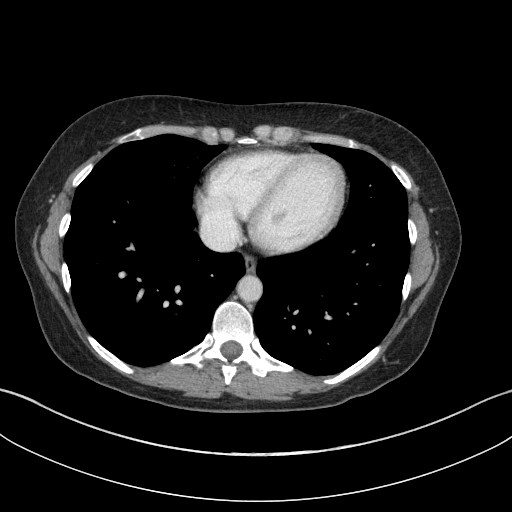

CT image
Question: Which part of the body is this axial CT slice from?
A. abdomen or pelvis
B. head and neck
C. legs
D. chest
Answer: D. chest
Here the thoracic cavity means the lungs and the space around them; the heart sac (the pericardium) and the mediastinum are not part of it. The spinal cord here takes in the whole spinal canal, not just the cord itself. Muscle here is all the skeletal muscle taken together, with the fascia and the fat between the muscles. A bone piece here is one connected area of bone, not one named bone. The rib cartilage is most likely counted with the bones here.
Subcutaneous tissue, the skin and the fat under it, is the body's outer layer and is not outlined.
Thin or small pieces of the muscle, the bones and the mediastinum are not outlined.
The bones appear in 12 outlined pieces: piece 1: 227 385; 236 372; 237 364; 242 361; 260 377; 272 370; 291 372; 295 369; 272 357; 261 346; 254 332; 252 316; 240 303; 232 300; 218 306; 211 330; 200 343; 166 363; 190 363; 201 368; 204 360; 217 358; 222 362; 221 368; inner edge: 230 360; 236 357; 238 355; 239 355; 242 350; 242 348; 241 346; 237 342; 235 341; 233 341; 232 340; 230 340; 229 341; 227 341; 225 342; 221 346; 221 348; 220 349; 223 355; 224 355; piece 2: 208 144; 215 144; 219 139; 243 144; 254 144; 259 140; 287 144; 293 139; 294 132; 284 126; 274 129; 269 126; 258 126; 254 130; 255 137; 245 135; 235 138; 233 132; 227 129; 219 132; 204 128; 201 131; 201 137; piece 3: 326 384; 335 384; 338 382; 343 381; 348 377; 353 375; 359 371; 377 355; 381 349; 381 344; 380 343; 378 344; 370 351; 369 351; 363 357; 341 372; 337 374; 329 376; 327 378; 324 379; 323 381; 324 383; piece 4: 125 373; 132 373; 133 372; 133 369; 128 364; 122 361; 119 358; 118 358; 115 355; 106 349; 90 334; 87 334; 86 335; 86 337; 88 341; 92 347; 99 354; 99 355; 105 359; 109 363; 110 363; 116 369; 121 372; 124 372; piece 5: 120 144; 121 143; 127 142; 128 141; 131 141; 132 140; 143 139; 144 138; 146 138; 150 136; 153 136; 157 134; 161 134; 162 133; 168 133; 170 132; 170 130; 164 127; 140 127; 127 133; 125 135; 119 138; 118 139; 118 142; piece 6: 350 148; 358 148; 357 143; 351 138; 344 139; 343 138; 331 137; 330 136; 325 136; 324 135; 307 135; 305 136; 305 140; 306 141; 319 142; 320 143; 327 143; 328 144; 334 144; 335 145; 339 145; 340 146; 344 146; piece 7: 407 190; 411 189; 411 186; 412 185; 411 181; 408 175; 406 173; 406 172; 400 166; 399 166; 397 164; 393 162; 391 163; 389 165; 389 167; 392 170; 394 174; 397 177; 397 178; 400 181; 400 182; 403 185; 403 186; piece 8: 74 187; 76 187; 86 177; 86 176; 91 171; 91 170; 92 169; 92 168; 94 166; 94 164; 93 163; 92 163; 91 162; 90 162; 89 163; 88 163; 85 166; 84 166; 74 176; 74 177; 73 178; 73 179; 72 180; 72 185; piece 9: 67 293; 70 293; 70 285; 71 284; 71 280; 70 279; 70 276; 69 275; 69 271; 68 270; 68 268; 67 267; 67 264; 65 261; 63 261; 61 264; 61 277; 62 278; 62 282; 63 283; 63 287; 64 288; 65 291; piece 10: 60 237; 64 237; 68 229; 68 227; 69 226; 69 223; 71 219; 71 214; 70 212; 66 212; 62 216; 60 220; 60 223; 59 224; 59 228; 58 229; 58 231; 59 232; 59 235; piece 11: 402 301; 404 301; 407 298; 407 297; 408 296; 408 294; 410 291; 410 288; 411 287; 411 282; 412 281; 412 277; 411 276; 411 274; 409 271; 407 271; 407 272; 405 275; 405 277; 404 278; 404 281; 403 282; 403 287; 402 288; piece 12: 411 245; 413 245; 414 244; 414 243; 416 240; 416 238; 417 237; 417 230; 416 229; 416 225; 415 224; 414 221; 410 217; 408 217; 408 218; 407 219; 407 227; 408 228; 408 232; 409 233; 409 240; 410 241; 410 243; 411 244. The thoracic cavity appears in 2 outlined pieces: piece 1: 138 366; 166 362; 200 342; 210 330; 215 309; 244 273; 241 254; 210 250; 194 230; 198 224; 192 207; 195 185; 202 168; 226 148; 223 143; 208 145; 175 134; 124 143; 96 164; 76 189; 64 238; 74 305; 95 338; 125 362; piece 2: 324 375; 355 362; 379 343; 393 324; 401 305; 410 244; 405 189; 391 170; 365 151; 313 143; 315 149; 342 164; 350 183; 349 199; 337 225; 323 240; 299 253; 259 261; 256 270; 264 291; 253 321; 262 346; 272 356; 308 373. The muscle appears in 4 outlined pieces: piece 1: 272 401; 289 399; 295 393; 323 392; 362 373; 384 358; 385 352; 424 301; 439 268; 439 254; 426 214; 419 202; 417 183; 401 166; 413 184; 411 190; 406 190; 408 216; 415 221; 418 230; 417 240; 411 246; 408 268; 413 277; 411 291; 402 302; 394 324; 382 340; 382 349; 378 355; 353 376; 335 385; 323 383; 323 379; 328 376; 312 375; 297 369; 291 373; 272 371; 260 378; 242 362; 238 364; 237 372; 227 386; 223 381; 221 362; 217 359; 204 361; 205 365; 201 369; 190 364; 171 366; 163 363; 148 367; 131 366; 134 372; 125 374; 100 357; 85 337; 89 333; 73 305; 70 294; 62 287; 60 264; 64 260; 63 238; 59 237; 57 231; 61 216; 71 209; 76 188; 71 185; 73 176; 88 162; 97 163; 119 145; 117 139; 128 132; 114 137; 105 144; 102 151; 91 156; 69 175; 50 211; 35 229; 31 249; 46 285; 81 341; 99 360; 120 374; 143 384; 182 391; 187 396; 216 398; 226 392; 246 399; piece 2: 200 140; 201 140; 201 138; 200 137; 200 131; 204 127; 210 127; 211 128; 215 128; 219 131; 223 128; 227 128; 228 129; 230 129; 232 130; 234 132; 235 134; 235 137; 237 137; 241 135; 244 135; 242 134; 239 134; 233 128; 231 128; 230 127; 220 127; 219 128; 217 128; 216 127; 214 127; 213 126; 209 126; 208 125; 204 125; 203 126; 188 126; 187 125; 171 125; 170 124; 164 124; 163 123; 160 123; 159 124; 152 124; 151 125; 147 125; 146 126; 144 126; 164 126; 165 127; 167 127; 169 128; 171 130; 171 132; 169 133; 175 133; 176 134; 179 134; 180 135; 189 136; 190 137; 197 138; piece 3: 292 141; 305 141; 304 140; 304 136; 307 134; 324 134; 325 135; 330 135; 331 136; 337 136; 338 137; 343 137; 344 138; 346 138; 347 137; 345 137; 341 135; 337 135; 336 134; 330 134; 329 133; 324 133; 323 132; 317 132; 316 131; 312 131; 311 130; 307 130; 306 129; 301 129; 297 127; 292 127; 291 126; 285 126; 291 128; 295 132; 295 136; 294 137; 294 139; 292 140; piece 4: 388 166; 388 165; 393 161; 400 165; 397 162; 394 161; 392 159; 390 159; 386 157; 384 155; 374 149; 371 146; 365 143; 362 143; 361 142; 359 142; 355 140; 358 143; 359 145; 359 148; 360 149; 365 150; 371 153. The spinal cord is outlined by 230 360; 236 357; 238 355; 239 355; 242 350; 242 348; 241 346; 237 342; 235 341; 233 341; 232 340; 230 340; 229 341; 227 341; 225 342; 221 346; 221 348; 220 349; 223 355; 224 355. The mediastinum is outlined by 252 315; 254 308; 263 291; 262 282; 256 274; 255 270; 256 265; 262 257; 268 257; 261 257; 249 251; 237 249; 232 251; 221 252; 237 251; 241 253; 244 258; 246 269; 245 273; 238 280; 235 287; 225 300; 232 299; 240 302. The pericardium is outlined by 261 256; 277 256; 302 251; 323 239; 336 225; 345 206; 349 189; 346 174; 339 162; 313 148; 279 144; 255 144; 240 146; 225 151; 205 166; 194 192; 193 204; 200 224; 200 234; 204 243; 215 250; 225 251; 237 248; 249 250. The torso is outlined by 217 414; 335 407; 398 378; 423 353; 458 263; 462 234; 455 205; 436 160; 405 126; 376 112; 339 103; 239 104; 142 94; 108 101; 79 116; 59 134; 37 166; 15 211; 14 239; 37 320; 52 352; 76 373; 126 396; 169 408.